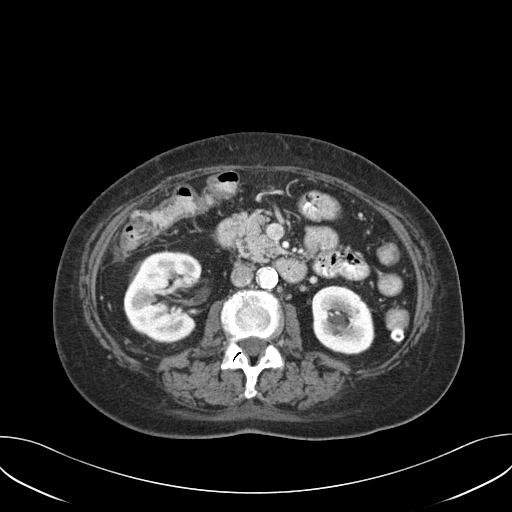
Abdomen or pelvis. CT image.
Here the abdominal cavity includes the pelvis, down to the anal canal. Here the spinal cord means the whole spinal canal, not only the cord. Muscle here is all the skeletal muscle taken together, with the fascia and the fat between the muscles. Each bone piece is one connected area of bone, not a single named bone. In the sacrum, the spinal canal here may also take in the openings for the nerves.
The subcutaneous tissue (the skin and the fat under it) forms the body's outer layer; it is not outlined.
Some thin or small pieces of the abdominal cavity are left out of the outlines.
Outlined structures:
abdominal cavity: 226 169; 305 175; 355 195; 381 214; 411 260; 417 287; 412 327; 391 355; 356 366; 318 350; 307 351; 296 307; 253 288; 215 300; 197 343; 155 363; 146 364; 121 347; 104 325; 96 299; 98 271; 114 235; 132 210; 171 185
bones: 244 289; 271 293; 278 299; 283 314; 283 327; 272 341; 280 351; 284 365; 282 368; 264 368; 257 376; 254 387; 257 393; 250 398; 246 398; 244 395; 246 376; 243 370; 221 368; 228 335; 222 328; 220 312; 225 300; 236 291, around a hole outlined by 249 337; 257 337; 260 339; 263 339; 267 342; 267 344; 266 345; 266 346; 263 351; 263 353; 262 354; 261 354; 260 355; 257 355; 256 356; 249 356; 245 353; 244 350; 239 345; 239 341; 242 339; 244 339; 245 338; 248 338
muscle: 257 163; 261 163; 264 165; 295 165; 296 166; 306 167; 316 171; 336 176; 345 180; 369 195; 395 207; 419 230; 419 233; 427 243; 427 245; 434 260; 434 264; 435 265; 435 271; 437 279; 436 280; 436 286; 433 298; 432 316; 423 336; 414 347; 396 366; 390 370; 388 370; 386 372; 382 373; 375 377; 370 377; 358 381; 355 384; 345 389; 343 389; 324 402; 317 404; 310 409; 304 410; 301 412; 291 413; 286 411; 282 411; 272 407; 256 398; 245 399; 244 400; 243 399; 235 406; 223 409; 211 409; 210 410; 188 406; 179 403; 167 392; 161 388; 152 378; 135 369; 133 369; 118 362; 111 355; 110 352; 102 346; 97 338; 92 333; 84 319; 81 300; 79 298; 79 291; 78 290; 79 270; 81 263; 81 257; 84 250; 85 244; 97 224; 101 220; 105 218; 115 208; 122 203; 151 188; 165 177; 175 173; 182 172; 189 169; 197 168; 201 166; 203 167; 204 166; 209 166; 216 164; 246 164; 247 165; 252 165, around a hole outlined by 226 169; 305 175; 381 214; 417 287; 412 327; 391 355; 356 366; 307 351; 296 307; 283 302; 272 341; 284 365; 264 368; 246 398; 243 370; 221 368; 223 299; 209 306; 193 346; 147 364; 121 347; 96 299; 114 235; 171 185
spinal cord: 249 337; 257 337; 260 339; 263 339; 267 342; 267 344; 266 345; 266 346; 263 351; 263 353; 262 354; 261 354; 260 355; 257 355; 256 356; 249 356; 245 353; 244 350; 239 345; 239 341; 242 339; 244 339; 245 338; 248 338
torso: 240 131; 306 135; 352 150; 399 180; 437 220; 457 266; 465 342; 452 383; 425 413; 395 427; 342 439; 303 440; 258 433; 175 439; 115 422; 86 401; 68 379; 55 346; 52 301; 59 259; 77 218; 110 184; 156 154; 197 139